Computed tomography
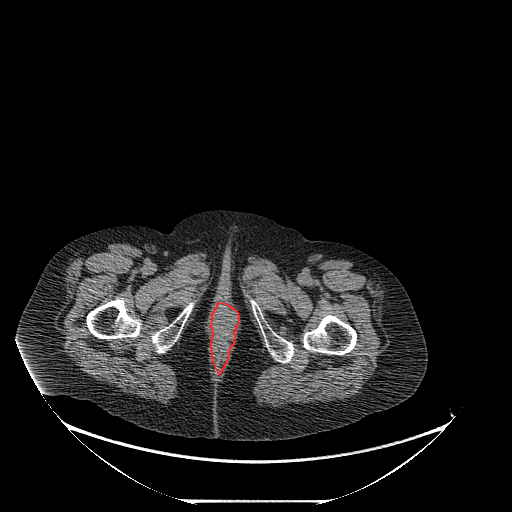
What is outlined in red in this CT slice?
red: abdominal cavity.
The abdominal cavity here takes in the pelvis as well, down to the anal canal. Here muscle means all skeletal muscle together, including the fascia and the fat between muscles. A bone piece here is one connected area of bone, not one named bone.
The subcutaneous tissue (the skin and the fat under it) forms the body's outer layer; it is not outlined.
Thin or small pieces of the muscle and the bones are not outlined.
abdominal cavity: (219, 302) (225, 303) (233, 308) (237, 312) (238, 317) (237, 325) (235, 328) (235, 331) (233, 332) (234, 335) (233, 344) (229, 348) (226, 362) (219, 374) (214, 364) (212, 355) (211, 344) (213, 334) (212, 328) (210, 325) (212, 321) (212, 314)
torso: (216, 209) (265, 216) (310, 240) (352, 246) (387, 267) (406, 290) (426, 341) (427, 368) (416, 391) (395, 406) (338, 428) (291, 439) (239, 441) (148, 430) (90, 401) (46, 395) (38, 390) (16, 346) (15, 333) (51, 257) (90, 232) (140, 225) (167, 233) (184, 217)
muscle 1: (317, 252) (358, 259) (385, 281) (388, 300) (381, 322) (390, 345) (377, 358) (378, 365) (373, 376) (359, 393) (351, 397) (278, 408) (261, 406) (257, 404) (252, 388) (260, 372) (271, 363) (268, 353) (261, 349) (261, 340) (244, 303) (240, 267) (250, 256) (279, 263); inner edges: (328, 314) (334, 315) (344, 322) (349, 323) (351, 326) (353, 327) (357, 333) (357, 340) (354, 348) (351, 351) (343, 355) (328, 355) (321, 352) (313, 352) (312, 351) (307, 350) (303, 347) (303, 343) (302, 342) (303, 334) (305, 332) (315, 328) (321, 319) (324, 316), then (246, 294) (256, 300) (261, 308) (266, 320) (271, 327) (278, 334) (287, 340) (291, 341) (294, 344) (294, 355) (292, 358) (292, 360) (289, 363) (283, 364) (275, 361) (272, 358) (270, 353) (264, 345) (263, 336) (261, 333) (259, 325) (253, 314) (249, 299) (245, 295)
muscle 2: (109, 243) (128, 243) (144, 248) (166, 262) (200, 252) (205, 254) (212, 266) (213, 275) (199, 307) (181, 339) (168, 354) (179, 384) (178, 396) (167, 405) (118, 391) (116, 387) (98, 382) (87, 375) (73, 364) (56, 334) (55, 318) (64, 299) (65, 267) (83, 249); inner edges: (116, 297) (123, 298) (128, 313) (133, 318) (139, 318) (141, 320) (140, 333) (139, 335) (135, 338) (131, 338) (130, 337) (128, 338) (116, 338) (110, 340) (100, 339) (97, 338) (90, 333) (86, 326) (85, 317) (89, 311) (98, 305) (104, 303) (109, 300) (111, 300), then (190, 300) (196, 300) (196, 302) (183, 326) (183, 329) (181, 332) (180, 337) (169, 350) (163, 354) (158, 354) (155, 351) (154, 347) (151, 342) (151, 339) (150, 338) (151, 333) (154, 331) (156, 331) (162, 328) (171, 322) (178, 315) (178, 314)
muscle 3: (220, 282) (221, 286) (223, 284) (225, 284) (229, 287) (230, 289) (229, 290) (230, 291) (229, 298) (235, 307) (235, 309) (229, 304) (219, 301) (211, 314) (211, 321) (209, 323) (212, 334) (210, 344) (211, 355) (216, 372) (219, 375) (214, 375) (212, 372) (212, 364) (210, 363) (210, 356) (208, 351) (210, 339) (208, 333) (206, 331) (206, 323) (205, 322) (208, 318) (209, 310) (212, 306) (212, 304) (214, 303) (213, 299) (217, 292) (217, 287)
bones 1: (116, 297) (123, 298) (128, 313) (133, 318) (139, 318) (141, 320) (140, 333) (139, 335) (135, 338) (131, 338) (130, 337) (128, 338) (116, 338) (110, 340) (100, 339) (97, 338) (90, 333) (86, 326) (85, 317) (89, 311) (98, 305) (104, 303) (109, 300) (111, 300)
bones 2: (328, 314) (334, 315) (344, 322) (349, 323) (351, 326) (353, 327) (357, 333) (357, 340) (354, 348) (351, 351) (343, 355) (328, 355) (321, 352) (313, 352) (312, 351) (307, 350) (303, 347) (303, 343) (302, 342) (303, 334) (305, 332) (315, 328) (321, 319) (324, 316)
bones 3: (246, 294) (256, 300) (261, 308) (266, 320) (271, 327) (278, 334) (287, 340) (291, 341) (294, 344) (294, 355) (292, 358) (292, 360) (289, 363) (283, 364) (275, 361) (272, 358) (270, 353) (264, 345) (263, 336) (261, 333) (259, 325) (253, 314) (249, 299) (245, 295)
bones 4: (190, 300) (196, 300) (196, 302) (183, 326) (183, 329) (181, 332) (180, 337) (169, 350) (163, 354) (158, 354) (155, 351) (154, 347) (151, 342) (151, 339) (150, 338) (151, 333) (154, 331) (156, 331) (162, 328) (171, 322) (178, 315) (178, 314)